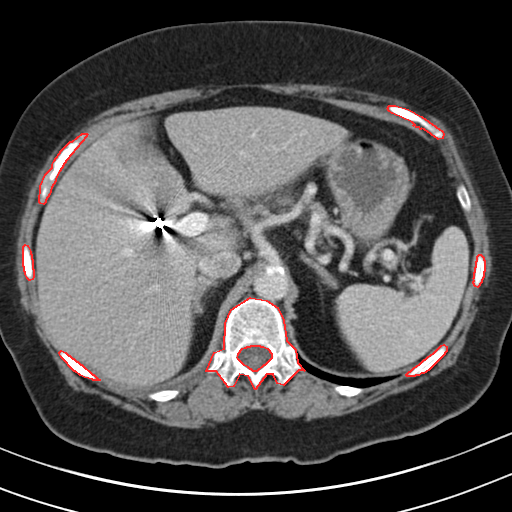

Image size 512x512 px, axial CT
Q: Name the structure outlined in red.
A: red: bones.
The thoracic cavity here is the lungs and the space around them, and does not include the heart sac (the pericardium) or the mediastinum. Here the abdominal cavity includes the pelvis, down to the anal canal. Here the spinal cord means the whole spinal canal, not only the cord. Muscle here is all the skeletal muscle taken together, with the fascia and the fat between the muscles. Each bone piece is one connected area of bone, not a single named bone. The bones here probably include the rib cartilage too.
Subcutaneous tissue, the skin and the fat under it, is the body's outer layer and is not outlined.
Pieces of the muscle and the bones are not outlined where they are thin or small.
The bones appear in 7 outlined pieces: piece 1: [[250,297],[266,300],[277,307],[283,320],[286,340],[295,349],[297,362],[304,370],[298,370],[283,385],[277,383],[273,374],[266,374],[255,389],[248,376],[239,374],[233,386],[228,387],[216,371],[206,371],[214,352],[224,348],[225,323],[231,309]]; inner edge: [[251,345],[259,345],[260,346],[263,346],[267,348],[271,353],[271,358],[264,365],[263,365],[256,371],[253,371],[251,369],[250,369],[248,367],[244,365],[238,359],[237,357],[238,355],[238,353],[242,348],[244,347],[246,347],[247,346],[250,346]]; piece 2: [[82,133],[86,133],[87,134],[86,136],[66,160],[59,171],[55,178],[55,181],[51,187],[49,194],[45,200],[45,202],[43,204],[40,203],[39,202],[40,186],[45,174],[52,167],[52,164],[54,160],[61,150],[70,141],[72,141]]; piece 3: [[389,105],[395,105],[408,109],[421,116],[442,131],[443,133],[442,138],[438,139],[424,129],[421,128],[420,129],[419,127],[416,127],[415,125],[413,125],[414,124],[412,122],[392,113],[389,111],[387,108]]; piece 4: [[443,344],[446,346],[446,351],[444,353],[444,354],[428,370],[423,373],[421,373],[418,375],[415,375],[414,376],[407,376],[406,375],[406,374],[409,371],[410,371],[414,367],[419,364],[424,359],[425,359],[428,356],[433,353],[441,345]]; piece 5: [[61,350],[65,352],[68,355],[69,355],[72,358],[73,358],[76,361],[77,361],[80,364],[81,364],[92,374],[93,374],[98,379],[99,379],[99,380],[93,380],[92,379],[84,377],[80,375],[75,371],[74,371],[61,357],[59,353],[59,352]]; piece 6: [[25,244],[27,245],[30,251],[30,253],[31,254],[31,258],[32,259],[32,268],[33,269],[33,277],[32,279],[30,280],[29,280],[27,278],[25,274],[25,272],[24,271],[24,267],[23,266],[23,246]]; piece 7: [[479,254],[480,254],[483,257],[483,259],[484,260],[484,271],[483,272],[483,277],[481,280],[481,282],[477,287],[475,286],[473,283],[473,281],[474,280],[473,278],[474,277],[474,272],[475,271],[475,267],[476,266],[476,261],[477,260],[477,256]]. The torso is outlined by [[241,19],[318,22],[383,37],[433,60],[470,93],[511,186],[511,324],[499,367],[484,394],[461,414],[419,434],[340,454],[323,463],[245,461],[211,468],[146,463],[73,445],[43,423],[0,337],[0,158],[14,125],[32,98],[82,59],[152,29]]. The thoracic cavity is outlined by [[296,352],[306,362],[312,366],[324,372],[327,372],[336,376],[341,376],[346,378],[373,378],[374,377],[396,376],[386,381],[383,381],[366,387],[345,385],[344,384],[337,384],[327,379],[324,379],[321,377],[319,377],[304,369],[298,362],[297,353]]. The spinal cord is outlined by [[251,345],[259,345],[260,346],[263,346],[267,348],[271,353],[271,358],[264,365],[263,365],[256,371],[253,371],[251,369],[250,369],[248,367],[244,365],[238,359],[237,357],[238,355],[238,353],[242,348],[244,347],[246,347],[247,346],[250,346]]. The abdominal cavity is outlined by [[233,88],[297,95],[394,120],[441,154],[471,234],[472,274],[453,329],[408,371],[373,377],[324,371],[287,340],[278,307],[253,296],[230,309],[222,340],[193,377],[154,391],[96,376],[50,333],[36,294],[32,242],[62,168],[81,149],[136,116]]. The muscle is outlined by [[289,82],[305,83],[306,84],[309,83],[329,84],[336,86],[337,85],[351,87],[360,90],[367,90],[382,95],[396,97],[406,102],[414,109],[425,112],[440,119],[451,132],[457,149],[470,175],[473,187],[484,211],[484,215],[487,221],[487,226],[489,230],[490,250],[492,258],[492,269],[489,278],[488,293],[476,317],[471,328],[471,331],[456,363],[412,388],[375,402],[356,411],[334,417],[316,418],[309,421],[304,421],[295,418],[294,419],[283,418],[262,410],[251,410],[235,418],[231,422],[217,427],[183,428],[169,426],[156,422],[84,393],[75,391],[67,383],[64,376],[59,371],[57,364],[34,333],[32,326],[20,303],[20,294],[16,282],[16,271],[15,270],[16,240],[20,224],[20,217],[24,209],[24,205],[27,199],[27,193],[30,186],[35,178],[35,175],[44,163],[47,156],[56,145],[71,131],[83,125],[90,118],[95,116],[100,112],[126,101],[156,93],[160,93],[164,91],[176,90],[181,88],[188,88],[199,85],[217,86],[239,83],[279,83],[283,84]], around holes outlined by [[233,88],[297,95],[397,121],[425,137],[441,154],[451,183],[465,186],[471,279],[442,343],[446,351],[428,370],[414,376],[405,371],[345,396],[334,382],[305,369],[283,385],[266,374],[255,389],[239,374],[228,387],[216,371],[206,371],[212,355],[193,377],[166,388],[179,390],[174,398],[157,401],[149,391],[84,377],[61,357],[34,278],[23,266],[23,246],[32,253],[45,174],[82,133],[65,166],[136,116]] and by [[389,105],[395,105],[408,109],[421,116],[442,131],[443,133],[442,138],[438,139],[424,129],[421,128],[420,129],[419,127],[416,127],[415,125],[413,125],[414,124],[412,122],[392,113],[389,111],[387,108]] and by [[479,254],[480,254],[483,257],[483,259],[484,260],[484,271],[483,272],[483,277],[481,280],[481,282],[477,287],[475,286],[473,283],[473,281],[474,280],[473,278],[474,277],[474,272],[475,271],[475,267],[476,266],[476,261],[477,260],[477,256]].